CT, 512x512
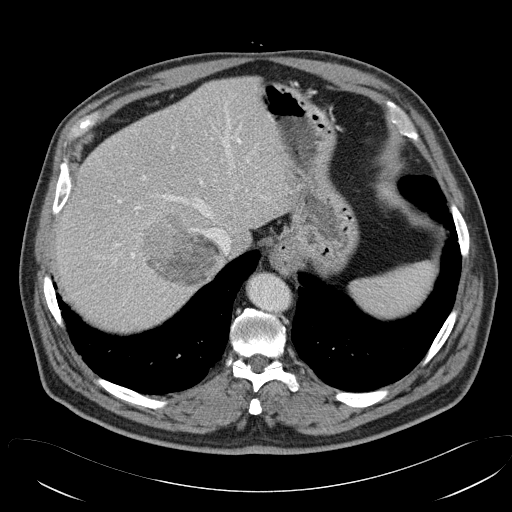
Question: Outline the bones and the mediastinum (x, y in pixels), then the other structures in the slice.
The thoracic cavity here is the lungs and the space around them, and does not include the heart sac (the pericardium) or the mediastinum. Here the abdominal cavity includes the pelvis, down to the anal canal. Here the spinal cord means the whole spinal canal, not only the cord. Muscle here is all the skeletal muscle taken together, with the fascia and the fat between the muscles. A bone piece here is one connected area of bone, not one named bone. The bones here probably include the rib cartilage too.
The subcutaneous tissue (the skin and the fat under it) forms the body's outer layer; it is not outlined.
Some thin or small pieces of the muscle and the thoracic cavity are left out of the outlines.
Answer: bones 1: 246 308; 254 308; 272 314; 284 325; 287 339; 284 352; 279 360; 286 371; 296 375; 299 382; 296 391; 291 391; 277 379; 271 379; 254 392; 252 383; 248 379; 234 377; 232 367; 225 365; 227 353; 231 348; 229 341; 231 323 with a hole at 255 354; 260 354; 263 356; 265 356; 266 357; 267 357; 269 360; 269 362; 263 368; 263 370; 261 372; 255 372; 254 371; 253 371; 251 368; 251 365; 248 363; 248 361; 247 360; 251 356; 252 356
bones 2: 98 377; 101 377; 115 384; 128 388; 141 394; 148 395; 152 398; 159 399; 160 400; 167 400; 168 402; 163 407; 156 408; 155 409; 145 407; 137 404; 133 404; 130 402; 118 398; 105 390; 100 385; 95 382; 95 380
bones 3: 384 387; 388 389; 389 391; 388 394; 384 398; 378 402; 365 407; 352 407; 347 405; 343 402; 336 400; 334 397; 335 394; 342 391; 346 391; 347 392; 368 392; 369 391; 373 391; 374 390; 376 390; 380 388; 383 388
bones 4: 64 154; 67 155; 69 160; 68 161; 68 165; 69 166; 69 171; 71 177; 71 187; 67 199; 63 204; 59 212; 55 215; 52 212; 52 205; 55 196; 56 183; 60 171; 60 167; 59 166; 63 159
bones 5: 385 100; 390 100; 394 102; 397 105; 402 108; 407 113; 409 118; 415 126; 419 134; 419 139; 418 140; 413 140; 403 135; 400 132; 400 128; 395 123; 393 123; 391 121; 390 121; 388 117; 388 109; 386 107; 384 103; 384 101
bones 6: 453 308; 454 308; 456 310; 457 313; 456 314; 455 322; 453 325; 453 327; 450 333; 448 335; 443 345; 432 357; 432 358; 425 365; 421 365; 420 364; 420 362; 425 356; 428 349; 430 347; 436 335; 441 328; 444 321
bones 7: 451 203; 455 204; 458 208; 465 221; 469 233; 469 251; 468 252; 468 255; 464 258; 462 258; 460 252; 460 248; 458 243; 458 237; 455 228; 454 220; 452 214; 450 212; 449 209; 449 205
bones 8: 46 274; 50 275; 51 277; 53 287; 55 290; 55 293; 56 294; 57 303; 60 309; 61 316; 63 319; 63 321; 65 325; 65 327; 64 328; 60 327; 56 322; 47 305; 47 303; 45 299; 45 296; 43 292; 43 277
bones 9: 96 110; 98 110; 100 112; 100 117; 98 119; 97 123; 96 123; 95 125; 91 127; 85 133; 84 133; 82 135; 73 139; 71 141; 69 141; 65 146; 64 145; 64 143; 68 140; 68 133; 69 132; 70 128; 80 118
bones 10: 253 397; 256 397; 259 399; 259 401; 260 402; 260 405; 261 406; 261 412; 259 414; 258 414; 257 415; 253 415; 252 414; 251 414; 249 412; 249 411; 248 410; 248 409; 249 408; 249 404; 250 403; 250 401; 252 399; 252 398
mediastinum 1: 261 254; 264 256; 270 266; 287 282; 295 287; 295 281; 298 286; 298 297; 295 304; 295 311; 291 323; 289 337; 287 335; 287 329; 285 325; 276 315; 254 307; 244 308; 232 320; 232 307; 236 295; 243 282; 256 268; 261 257
mediastinum 2: 414 150; 417 153; 417 154; 419 155; 419 156; 421 157; 421 158; 423 159; 424 161; 425 161; 425 162; 427 164; 427 166; 429 169; 429 174; 409 174; 408 173; 408 172; 410 170; 410 160; 412 159; 414 155
torso: 285 49; 335 52; 391 73; 425 101; 444 129; 479 198; 498 271; 493 319; 473 383; 455 405; 411 427; 351 447; 297 455; 219 455; 178 450; 128 438; 80 417; 42 387; 18 283; 27 213; 55 128; 93 92; 139 67; 209 51
thoracic cavity 1: 408 175; 433 177; 453 220; 461 263; 452 308; 424 356; 398 380; 368 391; 330 386; 297 358; 291 347; 286 348; 299 297; 298 277; 313 276; 342 292; 363 314; 379 322; 397 321; 415 313; 435 287; 450 232; 401 192; 398 183
thoracic cavity 2: 254 250; 260 253; 260 257; 253 271; 242 282; 231 307; 228 332; 230 348; 221 361; 194 385; 165 394; 144 394; 98 375; 74 347; 66 329; 57 294; 88 326; 109 336; 133 336; 163 325; 177 314; 201 288; 211 282; 226 265
spinal cord: 255 354; 260 354; 263 356; 265 356; 266 357; 267 357; 269 360; 269 362; 263 368; 263 370; 261 372; 255 372; 254 371; 253 371; 251 368; 251 365; 248 363; 248 361; 247 360; 251 356; 252 356
abdominal cavity: 258 60; 315 74; 384 104; 413 148; 408 174; 397 183; 400 192; 449 232; 432 291; 410 315; 379 321; 313 275; 300 273; 295 286; 254 249; 226 264; 158 327; 119 336; 88 325; 56 293; 50 271; 54 222; 88 132; 128 102
muscle: 272 56; 292 56; 314 60; 335 62; 373 74; 395 88; 401 98; 407 100; 428 121; 437 137; 445 158; 449 164; 450 169; 463 194; 467 220; 470 223; 474 233; 474 241; 476 245; 476 263; 477 264; 476 265; 477 269; 482 273; 483 276; 483 304; 473 349; 469 355; 468 360; 458 374; 436 390; 434 390; 425 396; 409 403; 391 413; 366 422; 349 430; 334 434; 312 435; 301 433; 298 432; 293 427; 284 425; 281 423; 277 423; 274 426; 270 427; 258 415; 262 412; 262 406; 260 399; 256 396; 253 396; 248 404; 247 410; 252 415; 247 419; 246 424; 240 430; 238 430; 233 424; 231 424; 206 433; 173 431; 146 425; 116 414; 71 388; 54 371; 45 351; 34 311; 34 283; 36 279; 36 272; 38 269; 38 265; 36 263; 34 254; 34 243; 41 208; 52 173; 52 163; 54 151; 59 135; 66 123; 77 112; 89 103; 112 92; 123 90; 132 83; 158 71; 184 64; 219 58; 227 58; 228 57; 259 57; 263 58 with a hole at 258 60; 390 100; 407 113; 419 134; 407 141; 469 233; 455 322; 425 365; 386 385; 388 394; 365 407; 336 400; 342 390; 289 346; 279 360; 296 375; 296 391; 271 379; 254 392; 248 379; 233 376; 225 356; 194 385; 150 395; 167 400; 163 407; 133 404; 95 382; 100 376; 56 322; 43 292; 59 166; 66 154; 72 172; 88 134; 64 143; 70 128; 96 110; 98 123; 133 100